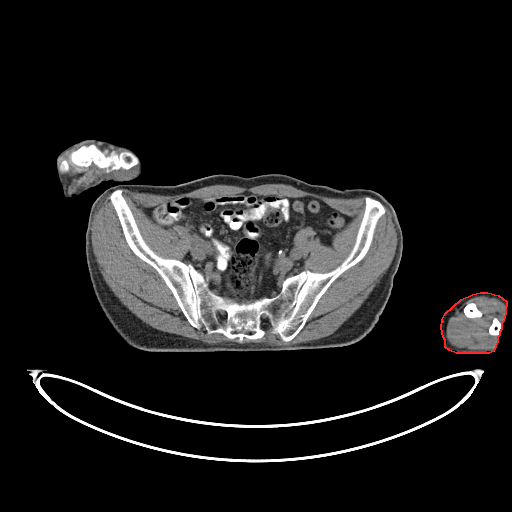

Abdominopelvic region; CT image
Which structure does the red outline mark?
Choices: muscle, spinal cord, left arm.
red: left arm.
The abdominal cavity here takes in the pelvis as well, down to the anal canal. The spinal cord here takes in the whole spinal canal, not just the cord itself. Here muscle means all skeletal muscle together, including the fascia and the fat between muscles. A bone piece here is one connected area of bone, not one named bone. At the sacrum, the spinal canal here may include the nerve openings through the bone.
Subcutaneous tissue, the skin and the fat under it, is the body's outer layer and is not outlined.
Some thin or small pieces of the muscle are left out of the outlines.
{"left_arm":[[[480,292],[487,292],[498,295],[506,301],[505,313],[503,321],[501,323],[501,329],[499,332],[499,335],[497,337],[497,341],[493,351],[489,353],[456,353],[449,350],[445,347],[445,340],[443,337],[441,327],[442,319],[445,313],[461,299],[472,294]]],"torso":[[[269,173],[285,174],[308,183],[338,189],[371,189],[380,193],[392,205],[402,230],[403,251],[391,294],[373,329],[350,345],[299,350],[151,352],[126,343],[105,317],[89,278],[85,232],[94,200],[108,187],[119,184],[175,185],[215,174],[251,177]]],"bones":[{"outer":[[117,189],[156,254],[192,265],[214,293],[238,303],[275,296],[286,278],[301,271],[324,273],[338,266],[355,242],[366,196],[378,200],[385,212],[366,254],[328,287],[291,340],[269,331],[260,338],[240,340],[190,324],[159,273],[128,245],[109,197]],"holes":[[[262,314],[265,314],[266,315],[266,316],[267,317],[267,318],[268,319],[268,320],[269,321],[269,326],[268,327],[262,327],[261,326],[261,322],[262,321],[261,320],[261,315]],[[219,311],[224,311],[225,312],[225,315],[226,316],[226,319],[225,320],[223,320],[222,319],[221,319],[220,318],[219,318],[217,316],[217,314],[218,313],[218,312]],[[241,330],[243,330],[244,331],[251,331],[252,332],[253,332],[253,333],[243,333],[242,332],[237,332],[236,333],[234,333],[233,332],[232,332],[233,331],[240,331]]]},[[90,144],[109,152],[112,150],[117,153],[125,150],[129,151],[137,157],[139,163],[128,169],[119,168],[110,172],[106,172],[104,168],[92,163],[81,172],[76,171],[72,166],[67,172],[61,173],[58,171],[58,162],[62,158],[66,159],[73,150]],[[468,303],[474,303],[476,305],[476,306],[477,307],[477,308],[481,312],[481,313],[482,314],[480,317],[474,317],[473,318],[469,318],[468,317],[467,317],[465,315],[465,314],[463,311],[463,309],[464,308],[464,307]],[[494,318],[497,318],[498,319],[498,320],[500,322],[501,322],[501,329],[500,330],[500,331],[499,332],[499,335],[498,336],[497,335],[491,335],[489,333],[489,327],[491,325],[491,324],[492,323],[492,321],[493,320],[493,319]]],"spinal_cord":[[[262,314],[265,314],[266,315],[266,316],[267,317],[267,318],[268,319],[268,320],[269,321],[269,326],[268,327],[262,327],[261,326],[261,322],[262,321],[261,320],[261,315]],[[219,311],[224,311],[225,312],[225,315],[226,316],[226,319],[225,320],[223,320],[222,319],[221,319],[220,318],[219,318],[217,316],[217,314],[218,313],[218,312]],[[241,330],[243,330],[244,331],[251,331],[252,332],[253,332],[253,333],[243,333],[242,332],[237,332],[236,333],[234,333],[233,332],[232,332],[233,331],[240,331]]],"right_arm":[[[86,139],[102,140],[129,148],[137,157],[139,163],[142,166],[141,173],[137,177],[127,181],[122,182],[114,180],[102,181],[97,185],[90,187],[77,195],[74,195],[69,198],[65,197],[63,194],[62,186],[58,177],[57,157],[63,150],[69,146]]],"muscle":[[[108,194],[127,245],[158,273],[189,324],[230,340],[260,339],[269,332],[284,342],[291,341],[329,287],[367,254],[386,208],[391,214],[397,244],[393,259],[377,285],[333,333],[288,345],[206,343],[144,323],[119,301],[104,281],[93,253],[91,223]],[[273,183],[287,184],[326,197],[365,196],[362,217],[351,249],[338,265],[324,272],[303,269],[305,256],[294,244],[295,235],[309,225],[316,231],[319,241],[330,246],[334,236],[345,228],[352,218],[319,198],[261,194],[246,190],[236,193],[212,193],[203,197],[183,195],[144,207],[142,209],[151,221],[162,228],[174,226],[188,228],[192,240],[183,261],[159,255],[146,242],[122,189],[177,195],[216,184],[252,187]],{"outer":[[478,296],[495,298],[502,302],[506,307],[503,321],[502,322],[497,317],[494,317],[488,327],[488,333],[491,336],[497,336],[497,341],[493,350],[472,350],[465,347],[456,347],[450,343],[447,337],[446,328],[449,318],[453,316],[456,310],[465,302]],"hole":[[468,303],[474,303],[476,305],[476,306],[477,307],[477,308],[481,312],[481,313],[482,314],[480,317],[474,317],[473,318],[469,318],[468,317],[467,317],[465,315],[465,314],[463,311],[463,309],[464,308],[464,307]]},[[92,164],[94,164],[98,168],[104,169],[106,173],[110,173],[119,169],[128,170],[137,165],[137,169],[131,175],[123,177],[106,175],[75,189],[71,189],[68,187],[67,179],[63,176],[63,174],[67,173],[72,167],[76,172],[81,173]]],"abdominal_cavity":[[[246,191],[316,198],[351,219],[333,236],[330,245],[322,243],[309,224],[300,228],[293,237],[293,244],[304,256],[303,270],[286,277],[273,296],[238,302],[214,292],[204,275],[184,262],[193,240],[188,227],[162,227],[143,209],[183,196],[203,198]]]}